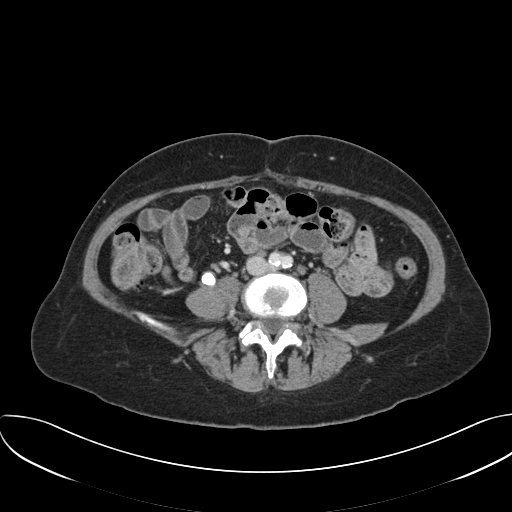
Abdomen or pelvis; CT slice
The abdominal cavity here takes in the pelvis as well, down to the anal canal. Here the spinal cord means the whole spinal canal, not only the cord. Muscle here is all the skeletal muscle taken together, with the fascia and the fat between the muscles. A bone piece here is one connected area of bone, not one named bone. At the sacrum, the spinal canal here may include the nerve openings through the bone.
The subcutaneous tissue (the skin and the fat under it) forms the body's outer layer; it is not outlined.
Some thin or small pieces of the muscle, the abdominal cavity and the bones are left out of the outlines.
The spinal cord is outlined by [[273,316],[276,316],[277,317],[285,317],[287,318],[288,320],[284,324],[285,326],[285,328],[278,335],[270,335],[266,333],[262,329],[262,327],[263,326],[263,323],[261,319],[262,318],[265,318],[266,317],[272,317]]. The bones appear in 2 outlined pieces: piece 1: [[272,272],[297,278],[304,285],[307,303],[295,317],[273,315],[260,319],[261,329],[270,336],[278,336],[286,327],[302,339],[300,347],[288,345],[276,357],[270,379],[266,353],[257,343],[241,345],[238,333],[252,318],[244,307],[244,288],[252,279]]; piece 2: [[135,310],[140,310],[141,311],[143,311],[144,312],[149,314],[153,318],[154,318],[157,322],[163,324],[165,326],[165,328],[160,328],[159,327],[157,327],[156,326],[149,325],[146,322],[142,322],[141,321],[140,321],[140,320],[134,313],[134,311]]. The muscle is outlined by [[265,169],[269,169],[279,173],[290,175],[299,175],[310,179],[325,181],[366,194],[375,195],[384,198],[395,204],[403,206],[416,213],[424,219],[431,227],[439,239],[442,246],[446,263],[446,291],[443,295],[442,300],[436,306],[435,309],[434,308],[427,315],[409,327],[393,335],[364,346],[341,372],[333,378],[325,382],[322,382],[311,387],[300,390],[283,391],[270,386],[266,391],[251,393],[236,389],[219,380],[212,378],[200,366],[193,361],[183,346],[174,344],[154,331],[128,321],[97,303],[90,297],[82,286],[82,269],[86,249],[91,237],[100,223],[114,210],[130,200],[162,189],[167,189],[176,186],[203,181],[221,179],[232,175],[249,175],[263,171]] with a hole at [[247,181],[352,197],[402,220],[428,261],[409,316],[387,331],[334,325],[347,300],[312,272],[305,308],[285,324],[302,345],[284,348],[271,379],[262,348],[240,344],[252,316],[234,274],[187,296],[202,318],[140,321],[100,279],[106,238],[162,196]]. The torso is outlined by [[221,132],[270,140],[297,134],[331,136],[367,148],[410,175],[443,214],[486,298],[491,336],[481,361],[444,388],[355,421],[266,430],[204,426],[141,415],[44,375],[31,353],[32,323],[60,274],[76,232],[98,198],[120,173],[147,154],[184,139]]. The abdominal cavity is outlined by [[247,181],[352,197],[402,220],[428,261],[423,294],[409,316],[387,331],[383,321],[334,325],[347,300],[318,271],[305,287],[279,271],[246,285],[226,274],[187,296],[188,309],[202,318],[190,320],[149,313],[116,296],[97,261],[126,217],[168,194]].